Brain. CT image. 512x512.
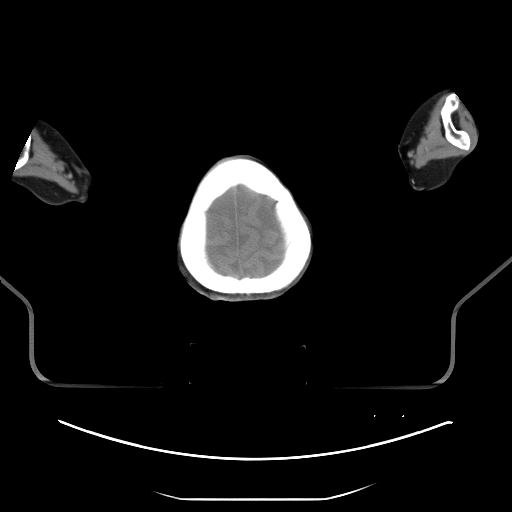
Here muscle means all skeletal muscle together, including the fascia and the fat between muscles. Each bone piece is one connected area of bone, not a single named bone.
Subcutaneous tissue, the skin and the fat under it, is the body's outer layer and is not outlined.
Outlines:
head: (234, 154) (249, 154) (261, 160) (289, 189) (299, 207) (309, 218) (313, 227) (315, 245) (313, 259) (309, 268) (297, 285) (287, 293) (275, 299) (245, 302) (211, 300) (198, 293) (186, 283) (175, 263) (174, 243) (178, 235) (178, 228) (184, 218) (198, 182) (216, 160)
bones 1: (237, 155) (252, 158) (267, 166) (289, 189) (309, 226) (312, 239) (312, 246) (309, 258) (299, 275) (289, 285) (279, 290) (252, 294) (227, 294) (213, 291) (201, 285) (191, 276) (184, 266) (179, 254) (178, 235) (180, 226) (198, 182) (205, 172) (218, 160) (227, 156) with a hole at (238, 185) (242, 185) (253, 192) (264, 195) (275, 202) (274, 213) (282, 233) (284, 250) (281, 261) (278, 265) (264, 275) (260, 276) (245, 275) (241, 277) (237, 277) (230, 274) (223, 274) (214, 269) (208, 260) (206, 251) (207, 212) (213, 202) (217, 198) (230, 188)
bones 2: (453, 92) (454, 92) (459, 98) (458, 108) (453, 114) (453, 122) (458, 129) (464, 130) (468, 133) (470, 138) (470, 147) (468, 150) (464, 150) (453, 145) (450, 143) (445, 137) (444, 128) (442, 123) (442, 118) (440, 114) (440, 110) (445, 101) (446, 96) (448, 94)
bones 3: (30, 135) (30, 143) (29, 144) (29, 157) (25, 164) (24, 164) (21, 167) (20, 167) (18, 169) (14, 171) (14, 168) (15, 167) (15, 165) (18, 159) (20, 157) (22, 153) (22, 151) (24, 148) (24, 146) (26, 142) (28, 140)
left arm: (444, 88) (450, 88) (457, 95) (459, 100) (462, 102) (473, 118) (479, 129) (478, 142) (475, 149) (457, 165) (451, 178) (445, 184) (431, 190) (421, 190) (420, 191) (414, 190) (408, 182) (406, 171) (398, 155) (396, 148) (397, 144) (409, 116) (416, 107) (430, 95)
muscle 1: (35, 131) (38, 131) (41, 134) (45, 140) (51, 146) (52, 149) (73, 170) (77, 180) (77, 183) (81, 189) (81, 191) (79, 193) (75, 194) (68, 192) (54, 183) (42, 178) (34, 176) (17, 176) (15, 174) (15, 171) (25, 165) (30, 157) (31, 135)
muscle 2: (446, 93) (448, 93) (445, 96) (444, 101) (439, 110) (444, 137) (453, 146) (461, 150) (467, 151) (461, 155) (433, 160) (426, 166) (420, 169) (415, 169) (409, 163) (407, 152) (415, 146) (417, 142) (418, 135) (420, 132) (422, 125) (428, 115) (428, 112) (438, 98)
muscle 3: (460, 104) (465, 110) (467, 114) (467, 116) (469, 120) (472, 123) (476, 132) (476, 138) (475, 139) (475, 142) (471, 147) (471, 148) (470, 148) (471, 147) (471, 138) (470, 137) (469, 133) (464, 129) (458, 128) (456, 126) (454, 122) (454, 114) (459, 108)
brain: (238, 185) (242, 185) (253, 192) (264, 195) (275, 202) (274, 213) (282, 233) (284, 250) (281, 261) (278, 265) (264, 275) (260, 276) (245, 275) (241, 277) (237, 277) (230, 274) (223, 274) (214, 269) (208, 260) (206, 251) (207, 212) (213, 202) (217, 198) (230, 188)
right arm: (40, 119) (46, 121) (56, 128) (72, 146) (96, 182) (98, 190) (98, 197) (97, 198) (91, 199) (85, 203) (79, 203) (73, 201) (58, 206) (50, 205) (41, 201) (27, 189) (12, 181) (11, 179) (15, 165) (22, 153) (24, 146) (28, 140) (33, 128) (38, 120)